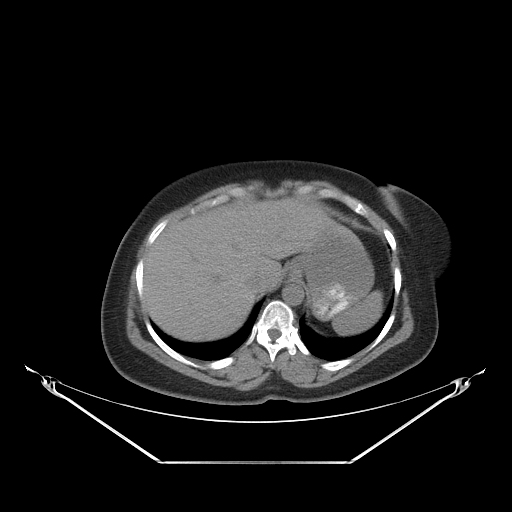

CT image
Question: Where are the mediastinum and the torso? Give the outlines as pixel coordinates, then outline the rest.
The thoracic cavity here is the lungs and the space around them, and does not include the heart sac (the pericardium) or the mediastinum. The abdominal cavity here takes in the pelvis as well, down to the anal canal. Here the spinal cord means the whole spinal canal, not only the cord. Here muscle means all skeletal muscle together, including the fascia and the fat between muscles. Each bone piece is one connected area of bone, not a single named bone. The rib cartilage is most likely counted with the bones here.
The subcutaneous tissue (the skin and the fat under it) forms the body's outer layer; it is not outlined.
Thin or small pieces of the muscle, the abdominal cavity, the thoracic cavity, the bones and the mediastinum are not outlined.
Answer: The mediastinum appears in 2 outlined pieces: piece 1: (284, 282) (297, 282) (297, 283) (303, 288) (303, 293) (304, 294) (303, 313) (298, 320) (298, 325) (297, 326) (294, 324) (295, 316) (293, 310) (289, 305) (280, 299) (272, 299) (270, 300) (261, 310) (264, 299) (266, 296) (275, 290) (280, 284); piece 2: (324, 198) (333, 199) (336, 201) (338, 201) (342, 203) (356, 214) (365, 218) (365, 219) (367, 220) (374, 227) (368, 226) (366, 224) (364, 224) (362, 222) (359, 221) (353, 216) (351, 216) (345, 213) (339, 207) (338, 207) (337, 205) (333, 204) (329, 201) (327, 201). The torso is outlined by (258, 159) (341, 166) (376, 184) (401, 186) (439, 213) (451, 232) (454, 251) (436, 286) (437, 338) (422, 361) (342, 397) (309, 403) (269, 399) (254, 405) (172, 397) (136, 385) (116, 371) (103, 347) (100, 309) (114, 254) (132, 220) (154, 193) (181, 175) (212, 164). The spinal cord is outlined by (269, 329) (276, 329) (277, 330) (278, 330) (280, 332) (280, 335) (277, 338) (276, 338) (274, 340) (273, 340) (269, 336) (269, 335) (268, 334) (268, 330). The thoracic cavity appears in 2 outlined pieces: piece 1: (392, 296) (393, 301) (391, 312) (376, 337) (365, 347) (348, 357) (335, 360) (326, 360) (318, 357) (311, 353) (299, 334) (298, 326) (301, 317) (303, 317) (305, 324) (307, 326) (314, 332) (325, 338) (330, 339) (349, 338) (363, 334) (373, 328) (380, 321) (386, 311); piece 2: (262, 300) (262, 304) (257, 318) (253, 323) (250, 333) (244, 342) (229, 355) (209, 361) (185, 356) (176, 351) (160, 337) (151, 323) (152, 322) (155, 324) (164, 334) (182, 342) (189, 343) (215, 342) (219, 340) (226, 339) (239, 331) (250, 318) (256, 305). The abdominal cavity is outlined by (286, 193) (323, 198) (383, 234) (391, 250) (393, 295) (373, 327) (349, 337) (320, 335) (306, 324) (302, 316) (305, 294) (297, 281) (280, 283) (255, 305) (239, 330) (223, 339) (182, 341) (164, 333) (150, 321) (143, 296) (144, 260) (150, 246) (166, 226) (231, 198). The muscle appears in 2 outlined pieces: piece 1: (249, 179) (325, 180) (347, 193) (327, 187) (316, 188) (312, 184) (304, 184) (298, 186) (295, 192) (249, 194) (246, 187) (232, 186) (192, 206) (188, 215) (169, 225) (167, 225) (166, 218) (161, 220) (147, 237) (146, 244) (149, 248) (145, 258) (140, 258) (137, 261) (134, 277) (138, 297) (141, 300) (143, 297) (148, 317) (144, 320) (145, 327) (164, 352) (173, 359) (194, 368) (219, 370) (235, 361) (235, 358) (230, 355) (241, 345) (245, 347) (255, 342) (267, 351) (271, 363) (275, 361) (278, 352) (285, 348) (291, 356) (298, 350) (306, 356) (312, 354) (325, 360) (320, 364) (324, 370) (335, 372) (342, 369) (354, 361) (352, 355) (364, 348) (367, 352) (376, 346) (394, 322) (396, 316) (392, 311) (394, 295) (399, 295) (402, 286) (401, 270) (397, 265) (393, 265) (392, 260) (392, 252) (397, 249) (395, 236) (405, 260) (405, 286) (414, 320) (411, 335) (348, 375) (326, 385) (310, 388) (295, 386) (275, 373) (255, 389) (238, 390) (232, 387) (216, 386) (182, 374) (135, 347) (129, 341) (125, 331) (125, 303) (135, 255) (145, 235) (162, 215) (199, 195) (221, 185); piece 2: (350, 195) (359, 199) (368, 205) (374, 211) (375, 211) (380, 216) (381, 216) (392, 228) (394, 232) (394, 235) (393, 233) (386, 227) (384, 227) (382, 229) (382, 233) (380, 232) (367, 219) (366, 219) (369, 213) (364, 205) (361, 202) (358, 201) (355, 198) (352, 197). The bones appear in 10 outlined pieces: piece 1: (272, 300) (280, 300) (292, 310) (294, 316) (293, 324) (298, 328) (298, 334) (310, 354) (306, 355) (297, 349) (296, 352) (291, 355) (284, 347) (277, 352) (274, 361) (271, 362) (268, 351) (262, 345) (255, 341) (248, 345) (243, 345) (251, 333) (252, 327) (261, 311), around a hole outlined by (269, 329) (276, 329) (277, 330) (278, 330) (280, 332) (280, 335) (277, 338) (276, 338) (274, 340) (273, 340) (269, 336) (269, 335) (268, 334) (268, 330); piece 2: (145, 320) (149, 320) (155, 332) (168, 346) (187, 359) (197, 364) (204, 366) (210, 361) (222, 359) (228, 356) (232, 356) (234, 358) (234, 361) (229, 365) (219, 369) (213, 369) (208, 367) (203, 369) (183, 363) (170, 356) (156, 343) (150, 335) (146, 327); piece 3: (304, 185) (312, 185) (315, 187) (316, 189) (327, 188) (328, 189) (335, 190) (344, 194) (347, 194) (358, 202) (361, 203) (366, 209) (368, 214) (366, 217) (364, 217) (356, 213) (339, 200) (329, 197) (320, 197) (317, 195) (315, 191) (304, 194) (296, 193) (297, 188); piece 4: (232, 187) (243, 187) (246, 188) (248, 194) (247, 195) (241, 197) (231, 197) (226, 201) (218, 203) (209, 207) (206, 207) (203, 209) (201, 209) (199, 211) (197, 211) (193, 214) (191, 214) (189, 212) (192, 207) (205, 200) (213, 198) (215, 196) (224, 192) (226, 189); piece 5: (392, 312) (394, 313) (395, 316) (390, 328) (388, 330) (386, 334) (382, 338) (382, 339) (376, 345) (375, 345) (371, 349) (366, 351) (366, 348) (367, 346) (369, 345) (377, 337) (377, 336) (381, 331) (382, 328) (384, 326) (386, 321) (388, 319) (390, 314); piece 6: (140, 259) (143, 259) (143, 289) (142, 290) (143, 293) (142, 294) (142, 299) (141, 299) (139, 297) (139, 295) (138, 294) (138, 291) (137, 290) (137, 285) (136, 284) (136, 278) (135, 277) (135, 271) (136, 270) (136, 265) (137, 264) (138, 261); piece 7: (349, 357) (352, 357) (353, 358) (353, 361) (349, 364) (344, 366) (342, 368) (340, 368) (338, 370) (336, 370) (335, 371) (324, 369) (321, 366) (321, 364) (322, 363) (324, 363) (327, 361) (335, 361) (336, 360) (341, 360) (342, 359) (345, 359); piece 8: (165, 219) (166, 219) (167, 220) (167, 224) (165, 226) (165, 227) (160, 232) (160, 233) (157, 236) (157, 237) (153, 241) (153, 242) (150, 245) (147, 244) (147, 240) (148, 239) (148, 237) (149, 236) (150, 233) (152, 231) (152, 230) (161, 221) (162, 221); piece 9: (395, 266) (397, 266) (399, 268) (399, 269) (400, 270) (400, 273) (401, 274) (401, 286) (400, 287) (400, 289) (399, 290) (399, 293) (398, 294) (398, 295) (395, 295) (395, 293) (394, 292) (394, 267); piece 10: (384, 228) (386, 228) (387, 229) (388, 229) (392, 233) (392, 234) (394, 236) (394, 238) (395, 239) (395, 242) (396, 243) (396, 249) (395, 250) (395, 251) (392, 251) (392, 250) (391, 249) (391, 248) (390, 247) (390, 246) (389, 245) (389, 244) (383, 233) (383, 229).